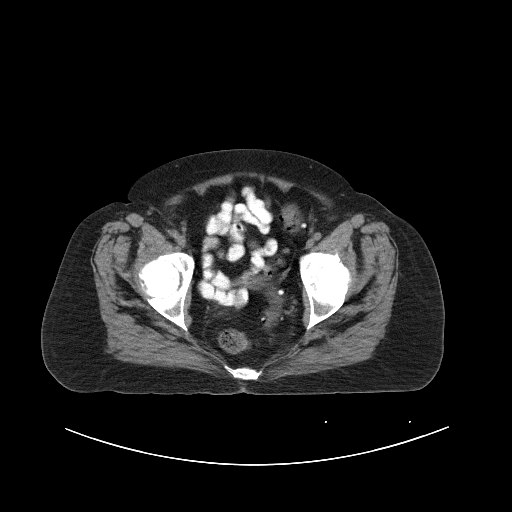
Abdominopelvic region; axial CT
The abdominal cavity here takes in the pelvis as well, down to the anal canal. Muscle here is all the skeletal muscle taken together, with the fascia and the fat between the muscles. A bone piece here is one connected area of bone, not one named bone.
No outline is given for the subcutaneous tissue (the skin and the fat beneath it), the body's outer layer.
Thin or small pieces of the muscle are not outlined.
{"abdominal_cavity":[[[237,178],[271,183],[284,192],[299,188],[316,199],[329,224],[329,231],[298,258],[302,284],[302,329],[293,342],[255,367],[232,367],[191,329],[192,279],[196,263],[189,241],[187,218],[179,205],[191,195],[203,195],[210,187],[227,185]]],"torso":[[[232,148],[275,149],[318,160],[416,228],[434,260],[445,309],[443,356],[427,385],[411,391],[319,395],[245,392],[159,395],[77,392],[65,388],[50,374],[41,354],[41,322],[76,226],[104,205],[125,202],[130,185],[150,170],[186,155]]],"muscle":[[[238,170],[309,185],[343,211],[387,224],[398,246],[399,275],[386,338],[372,357],[256,381],[263,370],[254,368],[304,327],[302,285],[307,331],[343,305],[352,275],[336,249],[307,252],[330,231],[313,195],[253,177],[186,197],[178,205],[191,254],[162,253],[137,272],[146,302],[186,333],[192,281],[190,329],[224,358],[234,378],[124,362],[104,351],[106,328],[90,264],[102,226],[130,211],[152,216],[178,190]]],"bones":[[[176,251],[183,251],[188,254],[190,254],[193,257],[195,263],[192,278],[186,291],[183,304],[183,316],[184,317],[184,323],[187,327],[187,332],[160,314],[147,302],[146,300],[147,296],[141,289],[140,280],[138,276],[139,270],[148,261],[159,255]],[[336,250],[339,254],[340,259],[348,268],[351,275],[351,281],[345,295],[344,302],[335,312],[325,319],[318,322],[307,330],[306,326],[309,321],[310,306],[307,293],[303,286],[300,277],[299,258],[303,254],[311,251],[334,253]],[[226,364],[232,368],[249,367],[250,368],[253,368],[256,370],[259,370],[261,369],[262,370],[262,372],[256,380],[251,380],[250,379],[249,380],[245,380],[240,378],[235,378],[233,377],[233,376],[227,370],[226,370],[224,367],[224,365]]]}